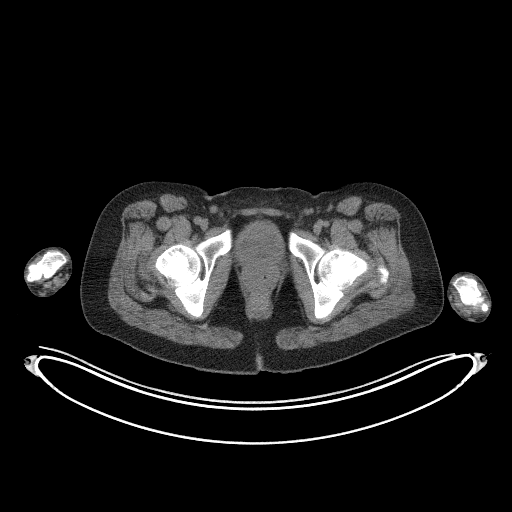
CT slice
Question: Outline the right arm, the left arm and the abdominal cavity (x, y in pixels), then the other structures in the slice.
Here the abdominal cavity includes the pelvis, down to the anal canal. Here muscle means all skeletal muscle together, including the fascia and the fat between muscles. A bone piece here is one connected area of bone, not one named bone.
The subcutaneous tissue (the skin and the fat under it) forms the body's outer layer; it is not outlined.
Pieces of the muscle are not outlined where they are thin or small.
Answer: The right arm is outlined by 52,245 61,246 65,248 69,252 72,259 72,273 66,284 55,294 48,297 40,297 39,296 36,296 34,295 28,289 24,281 22,272 23,271 25,263 35,252 44,247 46,247 47,246 51,246. The left arm is outlined by 463,270 470,271 478,275 485,283 491,296 491,302 492,303 491,304 491,311 488,317 484,321 480,323 474,323 473,322 466,321 462,319 450,306 449,300 446,294 448,283 451,276 456,272 462,271. The abdominal cavity is outlined by 260,214 283,217 291,220 291,226 287,232 287,248 291,254 289,256 288,265 279,278 278,287 269,308 262,315 254,315 250,312 248,307 237,266 229,251 232,247 233,239 230,221 239,215 251,216. The bones appear in 5 outlined pieces: piece 1: 227,228 230,228 232,232 231,247 225,254 220,255 216,259 204,296 203,312 201,316 194,317 185,310 175,294 174,287 168,283 164,276 155,268 155,261 157,257 171,245 181,243 193,247 199,242 215,236; piece 2: 290,230 303,238 319,244 327,250 331,250 335,247 346,249 368,263 368,269 358,276 350,286 343,290 343,296 337,302 331,313 326,317 316,318 314,316 314,296 305,267 301,259 293,255 288,248 288,232; piece 3: 48,250 59,250 65,255 67,259 67,261 63,265 62,265 51,277 49,278 44,278 42,277 40,279 33,281 32,282 29,282 27,281 25,277 27,273 27,266 32,262 33,263 37,262 42,257 43,254; piece 4: 462,275 464,275 470,278 473,278 477,281 478,288 481,294 484,297 484,301 489,305 489,308 487,311 485,312 484,311 482,311 480,309 477,309 475,310 471,305 466,305 461,301 459,293 452,283 457,277; piece 5: 381,263 382,264 383,264 388,269 388,270 389,271 389,276 388,277 388,279 387,280 387,281 386,282 386,283 385,283 384,284 380,284 379,283 379,274 378,273 378,272 376,269 376,267 379,264 380,264. The torso is outlined by 150,180 189,183 209,194 239,186 289,186 317,193 356,181 373,181 393,187 417,206 428,227 446,295 442,311 429,326 346,360 297,372 210,372 139,352 91,328 82,312 79,288 88,244 103,207 124,188. The muscle appears in 4 outlined pieces: piece 1: 164,193 183,196 191,208 207,214 227,209 270,207 306,217 351,195 390,204 400,214 400,238 410,265 414,305 395,318 347,338 285,350 275,342 277,332 304,323 300,299 291,280 287,277 283,281 268,318 249,319 232,269 208,317 214,325 242,333 241,342 234,348 180,344 132,326 114,311 107,295 110,271 121,239 121,213 130,203 154,199, around holes outlined by 260,214 291,220 290,229 299,236 327,250 346,249 368,269 343,290 330,314 316,318 305,267 291,254 269,308 254,315 228,251 215,261 201,316 188,313 155,268 157,257 171,245 193,247 221,233 239,215 and by 381,263 382,264 383,264 388,269 388,270 389,271 389,276 388,277 388,279 387,280 387,281 386,282 386,283 385,283 384,284 380,284 379,283 379,274 378,273 378,272 376,269 376,267 379,264 380,264; piece 2: 68,259 68,262 69,263 69,278 67,280 66,284 64,286 58,289 55,292 53,292 49,295 41,296 38,294 34,290 33,285 30,283 38,281 42,278 44,279 49,279 51,278 57,272 57,271 68,261; piece 3: 452,285 457,291 460,301 464,305 466,306 471,306 475,311 477,310 480,310 482,312 484,312 485,313 487,312 487,315 483,319 479,321 472,321 471,320 467,320 465,318 461,317 450,302 450,287; piece 4: 478,282 479,283 480,283 482,285 482,286 484,288 484,289 485,290 485,293 486,294 486,295 487,296 487,298 488,299 488,303 485,301 485,297 482,294 482,293 481,292 481,291 479,288 479,286 478,285.